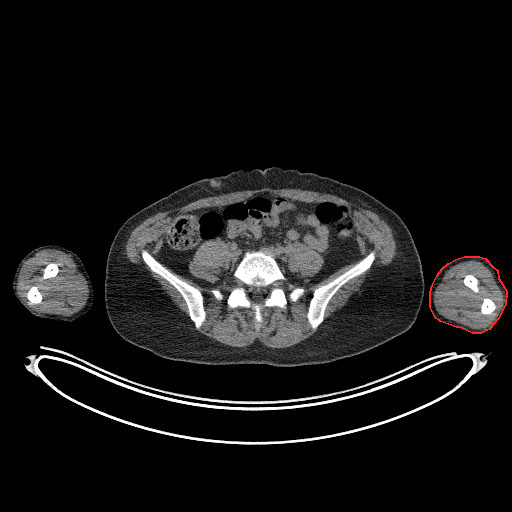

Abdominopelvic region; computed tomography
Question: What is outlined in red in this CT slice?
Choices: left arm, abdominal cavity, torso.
Answer: red: left arm.
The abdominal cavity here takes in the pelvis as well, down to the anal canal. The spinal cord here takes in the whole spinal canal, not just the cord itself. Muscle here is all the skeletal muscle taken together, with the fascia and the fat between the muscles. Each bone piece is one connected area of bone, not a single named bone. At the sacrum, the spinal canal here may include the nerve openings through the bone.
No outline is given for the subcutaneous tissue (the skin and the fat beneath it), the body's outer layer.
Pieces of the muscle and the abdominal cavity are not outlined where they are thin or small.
{"left_arm":[[[464,256],[479,256],[485,258],[492,266],[497,270],[498,278],[504,287],[506,292],[505,304],[497,319],[489,329],[481,333],[472,333],[459,327],[456,327],[440,321],[435,317],[430,307],[430,292],[432,285],[437,275],[442,268],[448,263],[455,259]]],"right_arm":[[[48,244],[60,245],[74,252],[83,262],[85,269],[91,280],[93,288],[93,301],[92,305],[85,314],[70,322],[66,322],[50,318],[38,317],[33,315],[18,300],[15,296],[12,288],[12,282],[14,273],[21,259],[33,249],[39,246]]],"torso":[[[274,166],[314,172],[362,189],[402,219],[418,251],[424,278],[423,299],[412,326],[384,344],[358,355],[329,363],[291,367],[268,364],[207,365],[168,360],[122,338],[112,327],[104,305],[106,260],[121,225],[140,209],[198,179],[225,175],[237,169]]],"bones":[{"outer":[[260,249],[272,254],[277,261],[286,278],[283,283],[285,291],[290,290],[289,283],[293,287],[302,287],[304,293],[296,301],[288,301],[284,307],[264,307],[257,329],[254,311],[251,308],[232,308],[226,300],[234,285],[233,272],[244,253]],"hole":[[251,287],[263,287],[264,288],[265,288],[267,290],[267,297],[265,299],[265,300],[264,300],[261,303],[255,303],[251,299],[251,298],[250,297],[250,296],[249,295],[249,294],[248,293],[248,288],[250,288]]},[[371,251],[374,251],[375,253],[375,259],[373,261],[371,266],[367,270],[358,276],[352,278],[345,283],[332,296],[325,308],[323,321],[316,329],[314,330],[310,326],[307,320],[308,307],[313,294],[313,291],[316,288],[330,282],[344,272],[350,269]],[[143,250],[146,250],[156,260],[167,268],[172,273],[175,274],[180,279],[199,289],[203,296],[203,307],[206,314],[205,320],[199,329],[197,329],[195,327],[194,323],[190,319],[187,305],[180,293],[165,279],[152,271],[144,262],[141,256],[141,252]],[[34,285],[35,285],[36,286],[37,286],[37,287],[38,288],[38,290],[41,293],[41,295],[42,296],[42,298],[41,299],[41,302],[40,303],[31,303],[27,298],[27,292],[29,290],[29,289],[30,288],[30,287],[31,286],[33,286]],[[485,297],[486,297],[487,298],[490,298],[493,301],[493,302],[495,304],[495,309],[491,313],[490,313],[489,314],[483,314],[481,312],[481,305],[482,304],[482,302],[483,301],[483,298],[484,298]],[[49,263],[56,263],[57,264],[57,265],[58,266],[58,269],[59,270],[58,271],[58,272],[56,274],[56,275],[55,275],[53,277],[50,277],[49,278],[43,278],[43,273],[44,272],[44,268]],[[468,274],[471,274],[472,275],[473,275],[478,280],[478,284],[477,285],[478,286],[478,291],[477,292],[475,292],[473,290],[472,290],[469,287],[468,287],[466,285],[465,285],[465,284],[463,282],[463,280],[464,279],[464,278],[465,277],[465,276]],[[212,288],[218,288],[223,293],[223,294],[224,295],[224,298],[222,300],[218,300],[217,299],[216,299],[215,298],[215,297],[211,293],[211,292],[210,291],[210,290]]],"abdominal_cavity":[{"outer":[[262,192],[306,203],[330,201],[345,205],[353,220],[362,257],[358,261],[303,287],[290,283],[274,255],[261,248],[245,251],[232,277],[218,281],[231,256],[228,246],[219,239],[205,240],[188,263],[194,277],[213,286],[202,286],[156,259],[173,217]],"hole":[[294,243],[300,243],[301,244],[303,244],[305,246],[307,246],[312,250],[317,252],[322,257],[323,259],[323,263],[321,266],[321,268],[312,276],[299,276],[296,272],[292,272],[290,271],[288,268],[288,266],[286,262],[285,248],[289,244],[293,244]]}],"muscle":[{"outer":[[263,187],[269,187],[274,189],[291,188],[292,189],[300,189],[301,190],[315,191],[320,193],[332,194],[338,197],[340,197],[347,201],[349,201],[355,204],[360,208],[370,210],[376,213],[391,229],[393,238],[395,241],[395,250],[396,253],[389,264],[387,265],[380,265],[379,266],[373,267],[369,273],[365,276],[363,282],[359,287],[359,289],[357,291],[355,291],[348,298],[346,303],[343,306],[338,308],[334,311],[329,317],[326,318],[322,325],[311,336],[302,340],[296,344],[283,348],[268,347],[257,339],[251,344],[246,346],[242,346],[241,347],[230,346],[221,343],[212,338],[210,338],[194,329],[192,327],[192,324],[190,323],[188,317],[174,303],[171,297],[166,291],[164,290],[160,285],[159,282],[156,280],[141,264],[135,264],[129,260],[126,254],[126,243],[131,232],[134,228],[139,225],[145,219],[148,218],[150,216],[154,215],[158,212],[163,212],[175,208],[178,208],[201,198],[205,198],[211,196],[217,196],[218,195],[226,194],[227,193],[235,192],[236,191],[259,189]],"holes":[[[262,192],[306,203],[345,205],[360,255],[363,258],[374,251],[375,259],[332,296],[316,329],[307,320],[313,291],[357,261],[304,286],[304,293],[284,307],[264,307],[257,329],[251,308],[227,304],[234,279],[218,281],[229,265],[228,246],[222,240],[207,239],[193,254],[188,269],[214,285],[202,286],[175,274],[203,296],[206,317],[197,329],[180,293],[150,269],[141,252],[146,250],[155,258],[172,218],[179,214]],[[212,288],[218,288],[223,293],[223,294],[224,295],[224,298],[222,300],[218,300],[217,299],[216,299],[215,298],[215,297],[211,293],[211,292],[210,291],[210,290]]]},{"outer":[[45,249],[56,249],[70,255],[76,264],[77,270],[82,274],[87,282],[88,290],[89,291],[86,303],[79,311],[71,315],[61,315],[53,313],[39,312],[30,307],[18,294],[17,282],[18,281],[19,272],[23,263],[27,259],[33,257],[37,252]],"holes":[[[34,285],[35,285],[36,286],[37,286],[37,287],[38,288],[38,290],[41,293],[41,295],[42,296],[42,298],[41,299],[41,302],[40,303],[31,303],[27,298],[27,292],[29,290],[29,289],[30,288],[30,287],[31,286],[33,286]],[[49,263],[56,263],[57,264],[57,265],[58,266],[58,269],[59,270],[58,271],[58,272],[56,274],[56,275],[55,275],[53,277],[50,277],[49,278],[43,278],[43,273],[44,272],[44,268]]]},{"outer":[[469,260],[479,261],[490,270],[495,280],[495,282],[502,292],[503,296],[503,300],[501,306],[493,320],[486,327],[483,328],[472,328],[454,320],[451,320],[444,317],[437,311],[434,303],[435,290],[437,286],[442,281],[446,271],[452,266],[458,263]],"holes":[[[485,297],[486,297],[487,298],[490,298],[493,301],[493,302],[495,304],[495,309],[491,313],[490,313],[489,314],[483,314],[481,312],[481,305],[482,304],[482,302],[483,301],[483,298],[484,298]],[[468,274],[471,274],[472,275],[473,275],[478,280],[478,284],[477,285],[478,286],[478,291],[477,292],[475,292],[473,290],[472,290],[469,287],[468,287],[466,285],[465,285],[465,284],[463,282],[463,280],[464,279],[464,278],[465,277],[465,276]]]},[[294,243],[300,243],[301,244],[303,244],[305,246],[307,246],[312,250],[317,252],[322,257],[323,259],[323,263],[321,266],[321,268],[312,276],[299,276],[296,272],[292,272],[290,271],[288,268],[288,266],[286,262],[285,248],[289,244],[293,244]]],"spinal_cord":[[[251,287],[263,287],[264,288],[265,288],[267,290],[267,297],[265,299],[265,300],[264,300],[261,303],[255,303],[251,299],[251,298],[250,297],[250,296],[249,295],[249,294],[248,293],[248,288],[250,288]]]}